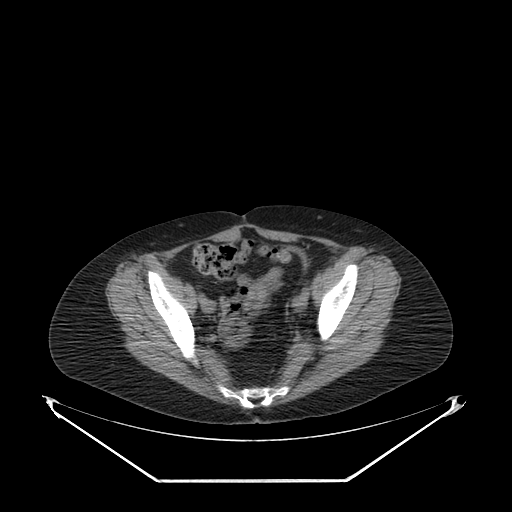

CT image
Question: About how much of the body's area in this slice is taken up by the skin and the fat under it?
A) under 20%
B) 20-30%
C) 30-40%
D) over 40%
Answer: D) over 40%
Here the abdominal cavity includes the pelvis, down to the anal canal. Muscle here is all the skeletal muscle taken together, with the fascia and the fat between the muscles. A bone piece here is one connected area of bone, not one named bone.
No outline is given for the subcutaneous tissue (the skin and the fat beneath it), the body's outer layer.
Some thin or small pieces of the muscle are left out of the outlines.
Outlined structures:
abdominal cavity: 244,228 274,241 311,240 323,244 333,254 330,265 311,281 311,297 318,309 316,333 287,357 269,385 241,388 224,360 196,342 191,318 196,310 197,293 190,283 172,275 166,265 191,245 203,241 236,241
bones 1: 148,270 154,271 160,275 165,287 171,293 173,297 182,304 186,309 194,328 195,355 198,361 198,366 193,365 183,356 180,349 170,335 169,329 164,322 164,320 155,308 151,298 149,289 148,277 147,276
bones 2: 349,264 356,264 358,266 357,282 356,283 356,286 355,287 353,296 342,318 340,320 333,333 326,340 321,340 317,329 317,317 318,316 318,312 319,311 321,299 323,295 339,281 344,273 344,270 346,266
bones 3: 218,383 234,391 242,389 244,387 270,386 278,388 285,385 289,387 289,390 283,396 280,395 274,396 271,403 267,406 258,404 253,408 246,408 240,404 238,399 233,397 225,397 217,388
torso: 266,204 306,205 357,217 383,229 411,251 433,277 452,317 452,347 437,369 338,413 267,424 232,425 187,421 151,411 70,378 58,369 48,347 50,320 69,281 93,257 135,231 173,218 212,210 243,214
muscle: 241,223 323,237 346,246 372,246 391,259 401,277 401,286 376,355 303,397 265,407 274,397 283,397 290,390 287,384 270,385 288,357 316,330 321,341 334,333 354,296 359,266 345,266 338,281 322,295 318,308 312,297 312,281 331,265 334,254 330,249 311,239 266,238 253,228 244,227 236,240 203,240 166,262 167,271 190,284 196,293 191,317 158,272 148,269 146,276 152,304 182,356 198,367 196,343 213,351 240,387 234,390 218,382 216,388 225,398 236,399 245,408 200,395 130,356 122,345 122,332 105,295 116,266 136,250 168,250